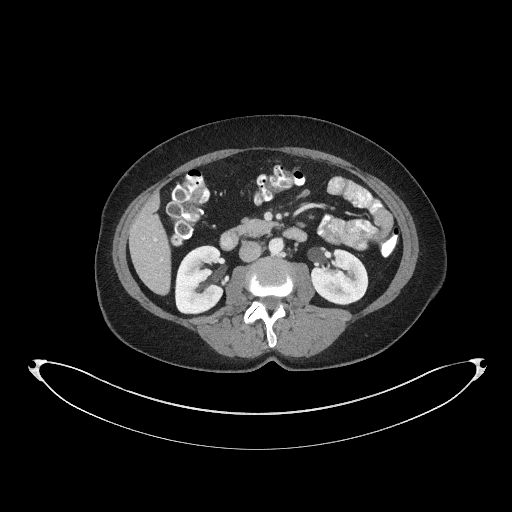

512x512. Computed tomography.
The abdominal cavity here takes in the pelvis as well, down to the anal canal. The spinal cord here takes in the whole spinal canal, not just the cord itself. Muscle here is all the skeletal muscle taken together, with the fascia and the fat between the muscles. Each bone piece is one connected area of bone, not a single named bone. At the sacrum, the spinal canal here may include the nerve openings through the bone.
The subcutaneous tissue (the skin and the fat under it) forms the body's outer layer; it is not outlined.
{"abdominal_cavity":[[[186,317],[207,314],[223,305],[232,269],[269,255],[307,264],[315,290],[311,303],[357,311],[387,287],[397,269],[402,251],[397,221],[361,179],[325,161],[255,150],[190,168],[144,204],[130,225],[126,245],[130,270],[141,289],[164,309]]],"torso":[[[226,373],[249,372],[269,361],[290,371],[313,371],[367,359],[395,343],[439,293],[447,271],[441,221],[416,179],[385,148],[316,117],[238,116],[202,124],[163,141],[138,158],[116,182],[102,208],[94,254],[96,296],[104,322],[122,343],[149,357]]],"muscle":[{"outer":[[246,358],[253,358],[271,350],[275,350],[281,354],[288,357],[301,357],[302,356],[309,357],[315,355],[328,347],[336,339],[337,339],[345,329],[352,323],[358,319],[360,319],[366,315],[390,303],[395,299],[399,294],[401,289],[407,283],[414,271],[416,262],[418,258],[418,254],[419,253],[419,244],[418,243],[418,237],[417,236],[415,224],[409,210],[403,201],[395,193],[395,192],[383,181],[379,178],[361,170],[352,163],[338,156],[320,150],[311,149],[305,147],[297,147],[296,146],[282,146],[281,147],[273,147],[272,146],[250,146],[249,147],[244,147],[243,148],[226,148],[225,149],[220,149],[193,158],[172,170],[163,178],[157,181],[141,192],[133,199],[132,201],[131,201],[124,211],[117,224],[113,237],[113,242],[112,243],[112,260],[113,261],[113,264],[116,273],[118,276],[118,278],[125,290],[133,298],[134,298],[142,307],[154,315],[165,320],[170,321],[173,323],[181,325],[194,332],[196,332],[206,343],[218,353],[229,357],[238,356],[239,357],[245,357]],"hole":[[270,347],[293,289],[290,262],[309,267],[311,303],[354,312],[387,287],[402,240],[392,211],[355,175],[255,150],[190,168],[162,187],[130,225],[126,253],[146,295],[186,317],[223,305],[232,269],[248,265],[246,287],[255,298],[243,320],[261,318]]}],"spinal_cord":[[[270,311],[272,311],[273,310],[274,310],[277,307],[278,304],[281,300],[281,299],[279,297],[276,297],[275,296],[266,296],[265,297],[262,297],[261,298],[260,298],[260,300],[261,301],[261,302],[266,307],[266,308]]],"bones":[{"outer":[[270,347],[273,347],[276,343],[276,336],[272,325],[279,317],[286,314],[283,299],[293,289],[293,277],[289,264],[269,256],[263,257],[252,264],[246,275],[246,287],[255,298],[246,309],[243,320],[246,323],[252,323],[261,318],[265,323],[266,339]],"hole":[[270,311],[272,311],[273,310],[274,310],[277,307],[278,304],[281,300],[281,299],[279,297],[276,297],[275,296],[266,296],[265,297],[262,297],[261,298],[260,298],[260,300],[261,301],[261,302],[266,307],[266,308]]}]}